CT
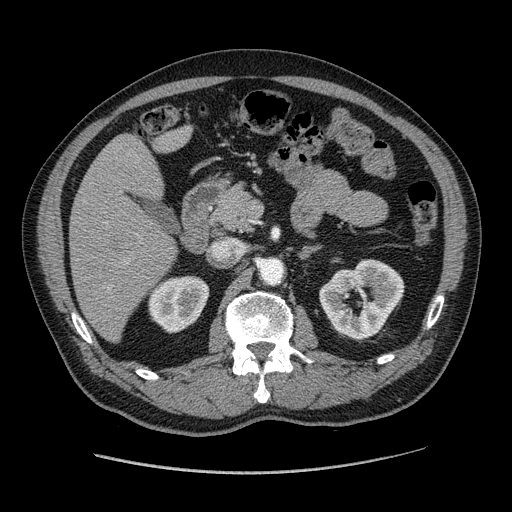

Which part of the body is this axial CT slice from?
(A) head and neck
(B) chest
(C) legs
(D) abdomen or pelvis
(D) abdomen or pelvis
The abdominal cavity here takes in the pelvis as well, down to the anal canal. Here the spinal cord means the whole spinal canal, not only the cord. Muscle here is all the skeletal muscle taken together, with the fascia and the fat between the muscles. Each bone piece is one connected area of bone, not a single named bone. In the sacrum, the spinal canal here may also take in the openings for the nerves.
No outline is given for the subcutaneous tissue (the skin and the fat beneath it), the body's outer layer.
Outlined structures:
bones 1: 257 290; 275 293; 285 300; 293 313; 289 342; 314 360; 307 363; 292 354; 290 372; 267 373; 264 383; 270 396; 265 403; 258 402; 253 396; 258 386; 257 374; 238 375; 233 372; 230 352; 234 344; 224 323; 227 305; 238 295; inner edge: 258 342; 268 342; 269 343; 272 343; 274 345; 273 348; 267 354; 266 357; 264 359; 258 359; 256 357; 256 356; 250 350; 250 349; 249 348; 249 345; 250 345; 251 344; 254 344; 255 343; 257 343
bones 2: 438 293; 443 293; 444 295; 444 301; 443 302; 443 305; 442 306; 442 309; 441 310; 440 315; 437 321; 429 329; 427 330; 424 330; 423 328; 427 320; 428 311; 430 308; 430 302; 432 300; 432 298; 434 296; 434 295
bones 3: 73 309; 76 309; 78 313; 83 319; 90 333; 91 338; 93 341; 93 344; 90 344; 88 343; 85 340; 84 340; 77 333; 76 331; 76 329; 73 324; 73 322; 70 316; 70 312
bones 4: 136 367; 143 367; 144 368; 147 368; 148 369; 149 369; 152 371; 154 371; 159 375; 159 378; 156 380; 150 380; 149 379; 145 379; 144 378; 143 378; 142 377; 141 377; 139 375; 138 375; 135 372; 135 371; 134 370; 134 369
bones 5: 389 352; 393 352; 395 354; 395 357; 392 360; 391 360; 390 361; 388 361; 387 362; 386 362; 385 363; 383 363; 382 364; 377 364; 376 363; 375 360; 376 359; 376 358; 378 356; 379 356; 382 354; 384 354; 385 353; 388 353
muscle: 215 75; 296 75; 352 89; 422 130; 439 147; 455 173; 465 205; 467 240; 460 279; 432 352; 415 368; 366 399; 309 410; 266 404; 271 393; 266 387; 265 376; 273 372; 290 373; 294 368; 292 355; 307 364; 315 361; 290 342; 294 331; 293 310; 299 304; 312 323; 317 337; 316 350; 349 360; 375 358; 377 365; 392 361; 396 357; 393 351; 406 346; 416 337; 429 305; 423 330; 429 330; 438 321; 445 301; 443 292; 435 293; 444 257; 442 191; 420 149; 369 109; 275 80; 230 79; 164 96; 120 113; 74 159; 61 190; 59 207; 65 279; 75 307; 69 316; 76 333; 84 341; 94 344; 91 333; 110 357; 145 366; 136 366; 134 372; 145 380; 156 381; 160 378; 157 370; 180 366; 210 354; 210 325; 223 312; 224 328; 233 344; 229 352; 231 370; 238 376; 248 373; 258 376; 252 396; 259 404; 241 414; 219 419; 168 412; 91 373; 63 327; 40 267; 36 235; 41 197; 57 160; 84 128; 131 97; 168 82
spinal cord: 258 342; 268 342; 269 343; 272 343; 274 345; 273 348; 267 354; 266 357; 264 359; 258 359; 256 357; 256 356; 250 350; 250 349; 249 348; 249 345; 250 345; 251 344; 254 344; 255 343; 257 343
torso: 227 48; 294 51; 369 79; 421 115; 451 146; 471 179; 482 244; 465 329; 437 382; 416 402; 392 415; 337 427; 262 420; 208 437; 147 429; 84 394; 41 317; 24 267; 21 218; 31 183; 45 159; 86 113; 129 83; 176 60
abdominal cavity: 236 79; 275 81; 361 106; 425 158; 443 200; 443 257; 419 331; 406 345; 359 360; 316 349; 304 307; 292 310; 261 289; 235 296; 209 325; 209 354; 180 365; 155 371; 115 359; 90 332; 64 264; 60 207; 72 164; 120 114